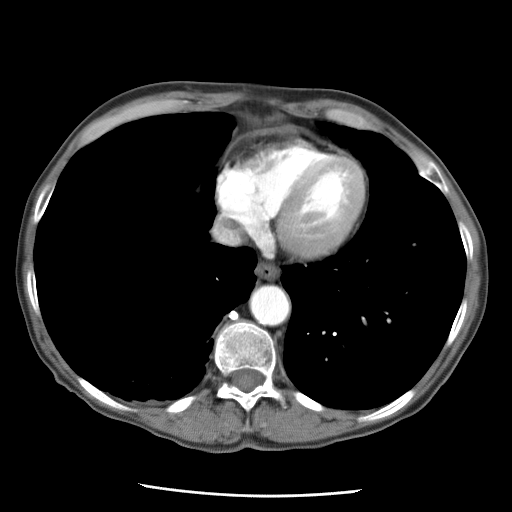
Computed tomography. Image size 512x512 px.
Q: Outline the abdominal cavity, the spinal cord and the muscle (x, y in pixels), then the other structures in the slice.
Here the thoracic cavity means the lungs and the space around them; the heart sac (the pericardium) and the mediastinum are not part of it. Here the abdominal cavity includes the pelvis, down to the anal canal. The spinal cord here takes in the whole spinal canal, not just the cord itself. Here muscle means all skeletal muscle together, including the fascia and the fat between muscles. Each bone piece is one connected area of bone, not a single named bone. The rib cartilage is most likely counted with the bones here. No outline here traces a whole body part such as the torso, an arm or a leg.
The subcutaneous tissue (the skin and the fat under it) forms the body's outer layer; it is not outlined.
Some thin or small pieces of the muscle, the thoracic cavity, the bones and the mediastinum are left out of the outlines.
A: {"abdominal_cavity":[[[233,101],[261,103],[265,105],[276,107],[282,111],[278,111],[277,113],[274,113],[269,119],[265,120],[264,119],[263,121],[256,121],[251,115],[240,111],[233,111],[229,107],[224,107],[223,109],[212,110],[212,109],[216,109],[228,106]]],"spinal_cord":[[[241,369],[251,369],[252,370],[255,370],[256,371],[258,371],[262,375],[263,377],[263,380],[261,384],[257,385],[252,390],[248,392],[243,391],[235,385],[232,384],[231,382],[231,378],[230,377],[230,374],[234,371],[236,371],[237,370],[240,370]]],"muscle":[[[244,88],[286,102],[330,98],[353,103],[392,126],[434,161],[416,150],[407,153],[376,131],[370,120],[338,107],[328,108],[323,118],[298,116],[273,105],[243,100],[189,111],[175,111],[191,103],[185,98],[127,105],[83,132],[57,180],[47,183],[38,195],[32,215],[37,224],[33,264],[26,271],[33,311],[42,318],[55,347],[77,374],[78,383],[91,396],[120,411],[138,410],[116,399],[146,407],[169,402],[164,407],[167,413],[181,412],[197,398],[190,394],[214,365],[224,379],[215,396],[236,401],[247,413],[260,398],[287,407],[285,395],[274,383],[277,368],[296,389],[291,392],[294,399],[310,410],[378,408],[356,420],[382,419],[415,395],[413,387],[441,350],[453,343],[467,311],[468,300],[463,296],[473,241],[466,224],[454,215],[446,197],[449,187],[436,163],[479,237],[478,307],[464,340],[437,379],[411,405],[388,419],[313,441],[278,442],[254,433],[242,433],[231,443],[189,441],[94,402],[59,371],[36,338],[23,289],[25,232],[40,185],[73,138],[95,118],[142,96]]],"mediastinum":[[[216,209],[245,230],[261,255],[291,264],[284,265],[280,275],[291,300],[281,352],[281,366],[287,381],[277,367],[274,340],[266,329],[239,319],[225,323],[214,337],[222,319],[249,298],[257,263],[255,251],[248,246],[232,247],[210,240],[209,230]],[[224,108],[249,115],[256,122],[269,120],[274,114],[283,111],[303,118],[322,118],[325,120],[318,120],[317,125],[338,145],[295,125],[259,127],[242,133],[231,143],[221,158],[218,172],[214,165],[230,141],[232,130],[236,124],[230,113],[216,110]]],"pericardium":[[[274,126],[299,127],[343,148],[357,158],[367,172],[369,199],[363,221],[355,234],[343,247],[336,253],[323,259],[305,264],[288,263],[264,256],[256,248],[246,230],[216,208],[214,201],[216,178],[220,171],[222,158],[232,143],[242,134],[259,128]]],"thoracic_cavity":[[[194,110],[221,111],[233,117],[229,141],[213,165],[217,170],[216,213],[208,233],[213,243],[252,249],[255,280],[248,298],[214,329],[214,364],[199,387],[170,402],[134,405],[79,375],[56,347],[38,299],[36,232],[59,176],[78,150],[124,123]],[[326,120],[380,133],[403,150],[418,174],[446,198],[466,258],[463,295],[439,353],[412,387],[370,409],[326,406],[297,389],[282,366],[292,314],[281,281],[283,267],[306,267],[336,254],[360,228],[370,199],[366,168],[346,145],[322,131],[317,122]]],"bones":[{"outer":[[239,320],[252,322],[266,330],[271,336],[276,351],[276,367],[272,379],[274,385],[281,390],[285,397],[285,408],[273,398],[260,397],[247,412],[236,400],[232,398],[218,398],[216,396],[218,387],[225,379],[213,359],[215,338],[225,324],[231,324]],"hole":[[241,369],[251,369],[252,370],[255,370],[256,371],[258,371],[262,375],[263,377],[263,380],[261,384],[257,385],[252,390],[248,392],[243,391],[235,385],[232,384],[231,382],[231,378],[230,377],[230,374],[234,371],[236,371],[237,370],[240,370]]},[[162,99],[179,99],[180,100],[185,99],[190,102],[189,104],[185,105],[181,108],[176,109],[172,112],[145,116],[124,122],[112,128],[93,141],[88,143],[79,149],[77,148],[81,136],[90,126],[97,121],[115,114],[127,106],[149,100],[161,100]],[[412,151],[416,151],[422,154],[427,159],[435,163],[435,164],[438,167],[448,187],[449,192],[446,196],[445,196],[443,194],[443,193],[432,182],[424,178],[419,174],[418,172],[418,170],[414,162],[408,154],[408,153]],[[332,108],[338,108],[343,110],[347,110],[348,111],[351,111],[354,113],[361,115],[370,121],[373,124],[376,129],[375,131],[370,129],[360,129],[359,128],[348,126],[344,124],[341,124],[340,123],[326,119],[325,117],[325,112],[328,109],[331,109]],[[411,388],[413,388],[415,390],[415,393],[414,395],[407,403],[391,414],[387,416],[385,416],[382,418],[376,419],[372,421],[361,421],[360,422],[357,420],[357,418],[359,416],[366,415],[369,413],[371,413],[377,409],[390,403]],[[77,375],[82,377],[116,401],[126,406],[128,406],[132,408],[135,408],[137,410],[135,412],[133,412],[132,411],[126,411],[125,410],[120,410],[119,409],[114,408],[111,406],[109,406],[105,403],[100,401],[91,395],[79,383],[76,377]],[[53,182],[56,182],[55,183],[53,191],[51,194],[51,196],[45,208],[45,210],[38,223],[34,223],[33,221],[33,215],[34,214],[35,206],[36,205],[37,200],[39,197],[39,195],[42,191],[43,188],[47,184],[49,183],[52,183]],[[463,297],[466,298],[467,300],[467,306],[466,307],[466,311],[465,312],[463,322],[456,337],[452,343],[449,346],[445,348],[443,348],[448,337],[448,335],[450,332],[453,321],[456,316],[456,314],[458,311],[458,309],[460,306],[460,304],[462,301]],[[32,265],[33,265],[33,268],[34,269],[35,285],[36,286],[36,291],[37,292],[37,299],[38,300],[38,304],[39,305],[39,309],[40,310],[41,317],[38,316],[35,313],[34,309],[31,304],[31,302],[29,298],[28,290],[27,289],[27,271]],[[459,220],[462,221],[465,224],[469,231],[469,233],[471,237],[472,246],[473,247],[473,253],[472,254],[472,259],[471,260],[468,260],[466,257],[464,246],[462,242],[462,239],[460,235],[460,232],[458,227],[458,223],[457,222],[457,221]],[[294,390],[298,390],[300,391],[308,397],[311,398],[313,400],[325,406],[326,407],[325,410],[323,411],[316,411],[315,410],[310,409],[302,405],[300,403],[299,403],[293,396],[292,394],[292,392]],[[188,395],[195,395],[196,396],[196,398],[191,403],[191,404],[185,409],[184,409],[181,411],[179,411],[178,412],[167,412],[165,410],[165,407],[171,402],[172,402],[175,400],[177,400],[180,398],[182,398],[185,396],[187,396]]]}